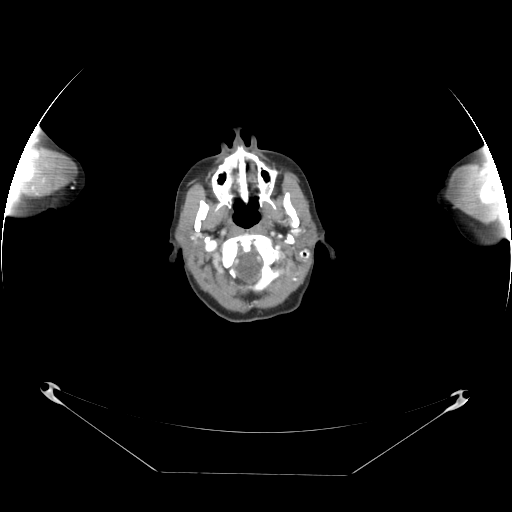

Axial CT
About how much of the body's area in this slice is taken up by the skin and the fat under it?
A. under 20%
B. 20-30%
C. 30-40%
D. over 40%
Answer: B. 20-30%
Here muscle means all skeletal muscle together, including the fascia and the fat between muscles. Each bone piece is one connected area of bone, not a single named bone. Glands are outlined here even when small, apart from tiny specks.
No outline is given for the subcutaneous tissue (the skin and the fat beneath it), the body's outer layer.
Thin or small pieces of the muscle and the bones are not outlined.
left arm: [[484,141],[488,147],[488,150],[496,166],[495,169],[498,173],[499,179],[504,188],[504,197],[509,217],[508,218],[511,240],[499,243],[492,247],[481,248],[469,242],[460,234],[453,222],[436,203],[435,196],[442,184],[449,167],[464,155],[475,149]]
muscle 1: [[247,149],[285,164],[299,177],[311,215],[303,222],[299,241],[311,247],[311,252],[304,247],[297,254],[302,262],[311,261],[301,285],[282,304],[239,313],[225,309],[204,292],[187,265],[186,256],[200,244],[198,234],[210,206],[202,198],[198,201],[194,231],[179,215],[187,182],[230,150],[210,176],[217,200],[214,210],[233,207],[233,221],[243,228],[258,222],[258,209],[263,203],[275,210],[271,195],[279,171]] with holes at [[244,233],[268,236],[274,244],[280,245],[285,255],[279,262],[280,265],[287,267],[285,272],[261,291],[255,292],[245,288],[248,283],[246,281],[238,277],[231,277],[226,269],[220,267],[219,263],[216,266],[213,262],[215,253],[219,251],[226,239]] and at [[285,192],[289,192],[290,194],[290,200],[291,201],[291,203],[294,207],[296,211],[296,213],[299,218],[299,227],[298,229],[296,228],[293,228],[290,225],[290,217],[287,214],[286,214],[285,212],[285,210],[283,206],[283,198],[284,197],[284,194]] and at [[206,236],[209,236],[212,239],[213,239],[214,240],[215,240],[216,241],[216,243],[217,244],[217,248],[216,249],[216,250],[215,250],[214,251],[211,251],[210,252],[209,251],[206,251],[206,250],[205,249],[205,243],[204,242],[204,238]] and at [[289,232],[290,232],[290,233],[293,236],[293,237],[294,238],[294,243],[293,243],[292,244],[288,244],[287,243],[285,243],[284,242],[284,238],[285,237],[285,236],[286,235],[286,234],[287,233],[288,233]]
muscle 2: [[488,148],[496,168],[484,183],[480,191],[480,199],[487,202],[495,202],[504,197],[505,198],[510,227],[510,232],[507,233],[494,233],[479,225],[455,211],[445,198],[445,191],[448,186],[450,177],[454,170],[457,167],[461,166],[471,159],[477,153]]
muscle 3: [[30,135],[46,143],[52,149],[69,157],[76,164],[78,169],[77,176],[67,186],[56,191],[50,195],[47,195],[44,197],[40,197],[39,198],[32,198],[31,199],[8,191],[15,169],[17,177],[23,182],[30,179],[33,176],[32,162],[22,151]]
brain: [[253,248],[261,260],[261,269],[260,270],[258,277],[255,280],[251,281],[250,282],[247,282],[240,279],[238,277],[235,271],[235,266],[234,265],[235,264],[236,258],[240,250],[244,253],[248,253],[250,252]]
right arm: [[36,125],[40,127],[43,132],[47,136],[49,136],[59,146],[72,154],[79,160],[84,169],[86,176],[85,186],[75,201],[67,207],[58,210],[49,209],[34,217],[30,218],[25,219],[12,218],[9,216],[4,215],[8,189],[14,174],[19,157]]
bones 1: [[238,145],[244,146],[269,167],[275,168],[278,171],[270,195],[276,207],[275,209],[265,201],[259,207],[257,198],[251,196],[247,203],[237,197],[233,201],[231,208],[223,205],[217,211],[215,210],[218,200],[211,186],[211,176],[224,158]]
bones 2: [[244,233],[268,236],[274,244],[280,245],[285,255],[279,262],[287,267],[285,272],[261,291],[244,287],[255,281],[262,269],[262,260],[253,247],[248,252],[240,249],[237,253],[233,265],[236,278],[219,263],[216,266],[213,262],[215,253],[226,239]]
bones 3: [[496,170],[498,173],[498,176],[499,177],[499,179],[501,181],[503,185],[503,187],[504,188],[504,196],[500,198],[498,200],[496,200],[495,201],[487,201],[486,200],[483,200],[481,199],[481,191],[485,183],[487,181],[488,178],[493,173],[494,173]]
bones 4: [[22,152],[29,159],[29,160],[31,162],[31,165],[32,166],[32,176],[30,178],[26,180],[24,180],[23,181],[18,177],[17,175],[17,173],[16,172],[16,168],[17,167],[17,165],[18,164],[18,162],[19,161],[19,159],[21,156],[21,154]]
bones 5: [[285,192],[289,192],[290,194],[290,200],[291,201],[291,203],[294,207],[296,211],[296,213],[299,218],[299,227],[298,229],[296,228],[293,228],[290,225],[290,217],[287,214],[286,214],[285,212],[285,210],[283,206],[283,198],[284,197],[284,194]]
bones 6: [[201,199],[204,200],[204,201],[209,206],[209,208],[208,209],[208,211],[206,214],[205,218],[201,221],[200,231],[199,233],[197,233],[194,229],[194,221],[195,220],[195,216],[196,215],[196,213],[197,212],[197,210],[199,206],[199,201]]
bones 7: [[206,236],[209,236],[212,239],[213,239],[214,240],[215,240],[216,241],[216,243],[217,244],[217,248],[216,249],[216,250],[215,250],[214,251],[211,251],[210,252],[209,251],[206,251],[206,250],[205,249],[205,243],[204,242],[204,238]]
bones 8: [[304,248],[307,248],[310,251],[310,252],[311,253],[311,257],[310,257],[306,261],[302,261],[299,258],[299,255],[298,254],[299,253],[299,251],[300,250],[301,250],[302,249],[303,249]]
bones 9: [[289,232],[290,232],[290,233],[293,236],[293,237],[294,238],[294,243],[293,243],[292,244],[288,244],[287,243],[285,243],[284,242],[284,238],[285,237],[285,236],[286,235],[286,234],[287,233],[288,233]]
parotid glands 1: [[178,220],[185,222],[186,224],[189,225],[189,227],[194,232],[195,232],[195,233],[197,234],[199,237],[199,244],[198,246],[195,249],[195,250],[188,253],[186,255],[184,254],[182,247],[178,243],[175,238],[175,231],[176,230],[176,227],[178,224]]
parotid glands 2: [[307,218],[312,218],[316,226],[316,229],[318,233],[318,236],[317,237],[317,239],[316,239],[315,241],[313,242],[311,246],[309,245],[306,245],[305,244],[303,244],[301,243],[300,241],[300,233],[303,228],[303,226],[304,225],[304,222]]
head: [[234,125],[243,127],[245,144],[252,133],[259,148],[283,153],[300,166],[336,255],[332,261],[327,244],[317,243],[299,307],[250,322],[230,322],[208,308],[189,286],[180,252],[172,264],[168,262],[177,187],[196,161],[220,151],[222,139],[232,143]], around a hole outlined by [[251,197],[254,197],[257,200],[258,203],[257,211],[259,213],[259,219],[257,222],[249,227],[243,227],[241,225],[238,225],[234,221],[233,217],[234,215],[234,207],[233,206],[234,203],[237,200],[241,200],[245,204],[247,204],[249,201],[249,199]]